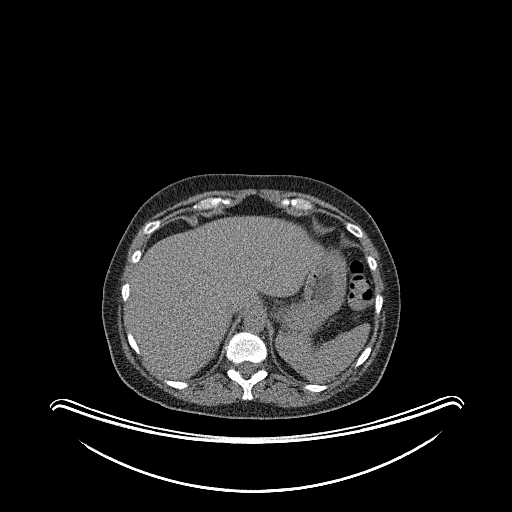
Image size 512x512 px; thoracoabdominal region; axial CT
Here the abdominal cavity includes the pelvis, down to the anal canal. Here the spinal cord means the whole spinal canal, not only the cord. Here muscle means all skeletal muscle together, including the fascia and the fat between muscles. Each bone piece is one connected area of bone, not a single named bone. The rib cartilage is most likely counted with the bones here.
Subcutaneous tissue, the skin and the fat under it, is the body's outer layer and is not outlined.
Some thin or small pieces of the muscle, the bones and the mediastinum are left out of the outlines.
{"abdominal_cavity":[[[252,195],[277,207],[316,212],[322,226],[337,223],[365,256],[375,290],[373,333],[354,363],[329,383],[304,383],[282,373],[268,357],[268,324],[255,310],[241,316],[215,370],[189,381],[152,369],[131,332],[128,300],[150,236],[170,217],[233,206]]],"spinal_cord":[[[245,361],[248,361],[249,362],[251,362],[252,363],[255,364],[255,365],[256,366],[256,370],[248,377],[245,377],[244,376],[243,376],[242,375],[242,374],[238,370],[238,369],[237,368],[238,367],[238,365],[239,365],[241,363],[242,363]]],"bones":[{"outer":[[242,331],[257,335],[265,343],[267,348],[267,357],[261,363],[261,366],[265,369],[267,375],[252,386],[251,393],[253,397],[251,400],[242,399],[243,388],[236,381],[232,380],[227,375],[227,371],[232,366],[232,363],[225,356],[225,346],[235,333]],"hole":[[245,361],[248,361],[249,362],[251,362],[252,363],[255,364],[255,365],[256,366],[256,370],[248,377],[245,377],[244,376],[243,376],[242,375],[242,374],[238,370],[238,369],[237,368],[238,367],[238,365],[239,365],[241,363],[242,363]]},[[208,197],[221,197],[222,198],[229,198],[231,200],[231,203],[229,205],[226,205],[225,204],[222,204],[221,203],[215,208],[210,208],[209,209],[206,209],[205,210],[194,210],[193,209],[191,209],[191,207],[193,204],[198,202],[204,198],[207,198]],[[294,197],[297,197],[298,198],[303,198],[306,200],[308,200],[313,205],[313,207],[311,209],[309,209],[308,210],[301,210],[300,209],[295,209],[290,206],[287,206],[286,207],[282,206],[281,205],[281,200],[282,199],[284,199],[285,198],[293,198]],[[157,219],[159,219],[160,220],[160,224],[159,225],[160,226],[157,229],[156,229],[151,234],[150,234],[149,235],[148,234],[145,234],[144,233],[143,233],[143,229],[144,228],[145,225],[148,222],[149,222],[150,221],[153,221],[154,220],[156,220]],[[346,222],[350,222],[351,223],[353,223],[354,224],[357,225],[361,229],[361,230],[362,231],[362,234],[363,235],[362,236],[362,237],[361,238],[358,238],[354,235],[353,235],[349,231],[348,231],[345,227],[345,223]],[[367,346],[370,346],[371,347],[371,351],[370,352],[369,355],[367,357],[367,358],[363,362],[363,363],[362,363],[359,366],[357,366],[356,367],[354,365],[354,364],[355,363],[356,360],[358,358],[358,357],[360,355],[360,354],[363,351],[363,350]],[[164,379],[168,379],[169,380],[174,380],[175,381],[183,381],[184,382],[187,382],[187,383],[188,384],[188,385],[185,388],[182,388],[181,389],[179,389],[178,388],[175,388],[172,386],[170,386],[169,385],[168,385],[167,384],[166,384],[164,382]],[[128,332],[130,332],[132,334],[132,335],[133,336],[133,337],[134,338],[134,339],[139,348],[139,350],[140,351],[140,353],[139,354],[136,353],[135,352],[135,351],[131,347],[131,346],[129,344],[129,343],[128,342],[128,340],[127,339],[127,333]],[[305,384],[317,384],[318,385],[327,385],[327,387],[325,389],[324,389],[323,390],[322,390],[321,391],[311,391],[310,390],[309,390],[308,389],[305,389],[304,388],[304,385]],[[377,293],[378,293],[379,294],[381,294],[381,295],[382,296],[382,297],[383,298],[383,302],[382,303],[382,306],[381,307],[381,309],[380,310],[380,311],[379,312],[379,313],[378,314],[376,314],[375,313],[375,297],[376,296],[376,294]],[[369,255],[370,256],[371,256],[372,257],[373,257],[375,259],[375,260],[376,261],[376,264],[377,265],[376,266],[376,268],[374,271],[372,271],[370,269],[370,268],[368,265],[368,262],[367,261],[367,259],[366,258],[366,257]],[[135,250],[140,250],[141,251],[141,256],[140,257],[140,258],[139,259],[139,260],[137,262],[137,263],[133,263],[131,261],[131,257],[132,256],[132,254],[134,252],[134,251]]],"torso":[[[204,173],[293,174],[311,177],[339,188],[369,212],[396,267],[401,309],[397,335],[388,363],[379,382],[366,396],[337,409],[302,417],[222,418],[166,408],[140,396],[119,377],[112,363],[101,315],[102,289],[111,258],[133,215],[152,194],[174,181]]],"muscle":[[[248,188],[297,191],[332,204],[360,225],[379,254],[386,314],[379,350],[359,379],[315,404],[280,407],[252,400],[253,386],[268,375],[262,363],[269,358],[282,374],[302,382],[305,390],[325,390],[327,384],[353,365],[359,367],[370,355],[372,347],[368,345],[374,333],[375,316],[380,313],[384,298],[376,293],[372,274],[377,261],[373,256],[365,255],[358,239],[364,235],[362,229],[353,222],[346,221],[344,225],[329,215],[308,211],[314,205],[303,197],[282,198],[281,206],[277,206],[257,194],[248,195],[233,205],[230,205],[229,197],[208,196],[193,203],[190,207],[193,210],[181,211],[161,223],[159,218],[150,220],[142,229],[142,233],[149,236],[143,250],[135,249],[130,257],[136,264],[131,284],[124,282],[120,287],[121,298],[128,303],[130,331],[126,333],[127,342],[152,370],[165,378],[166,385],[185,389],[188,382],[213,373],[225,358],[231,363],[226,375],[242,388],[242,400],[207,406],[179,399],[143,376],[122,349],[117,314],[120,277],[128,249],[139,228],[157,212],[197,193]]],"mediastinum":[[[252,311],[255,311],[263,315],[263,317],[267,324],[267,333],[268,334],[267,336],[267,343],[257,334],[252,333],[249,331],[242,330],[241,331],[237,331],[234,333],[234,330],[236,329],[236,326],[238,325],[238,322],[240,321],[242,316],[246,313]],[[318,213],[320,213],[321,214],[329,216],[339,221],[344,226],[345,229],[348,232],[349,232],[353,236],[357,238],[359,242],[355,240],[353,240],[349,237],[347,237],[343,232],[340,225],[337,222],[331,222],[327,225],[322,225],[320,223],[318,219]]]}